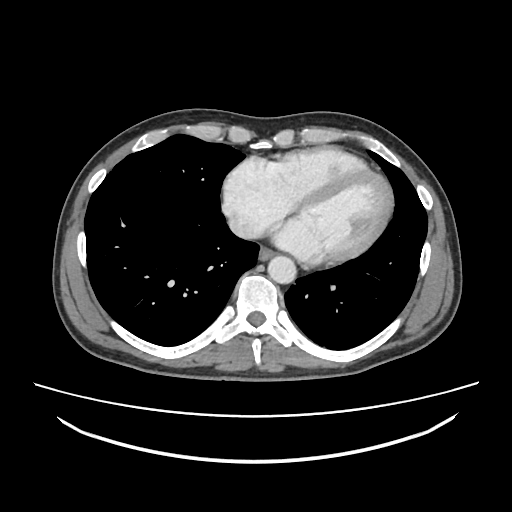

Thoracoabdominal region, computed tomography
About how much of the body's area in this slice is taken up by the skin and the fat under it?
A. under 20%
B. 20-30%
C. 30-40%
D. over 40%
Answer: A. under 20%
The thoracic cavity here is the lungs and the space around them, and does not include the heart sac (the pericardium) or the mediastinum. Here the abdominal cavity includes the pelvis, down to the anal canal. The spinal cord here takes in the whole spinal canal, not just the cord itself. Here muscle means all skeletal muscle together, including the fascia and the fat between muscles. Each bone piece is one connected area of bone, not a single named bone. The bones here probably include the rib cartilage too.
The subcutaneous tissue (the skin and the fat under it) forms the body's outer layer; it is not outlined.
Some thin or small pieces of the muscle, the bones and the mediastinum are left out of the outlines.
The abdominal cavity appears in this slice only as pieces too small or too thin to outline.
The mediastinum appears in 3 outlined pieces: piece 1: 283 296; 285 292; 298 279; 303 276; 313 274; 304 271; 295 262; 284 255; 267 247; 256 244; 259 247; 259 252; 255 265; 250 270; 244 273; 241 276; 244 277; 250 275; 261 275; 264 277; 266 277; 273 283; 275 288; piece 2: 244 157; 250 154; 258 153; 259 152; 262 152; 263 151; 266 151; 267 150; 270 150; 271 149; 276 149; 267 149; 266 150; 255 150; 254 149; 251 149; 246 145; 236 145; 235 144; 228 144; 233 148; 238 150; 241 153; 242 153; piece 3: 373 160; 374 160; 364 150; 355 147; 352 145; 347 144; 344 142; 334 142; 333 143; 306 143; 305 144; 296 144; 295 145; 284 147; 295 146; 296 145; 301 145; 302 144; 313 144; 314 143; 331 143; 332 144; 338 144; 358 150. The bones appear in 11 outlined pieces: piece 1: 256 365; 263 335; 324 360; 350 362; 385 343; 403 318; 399 315; 356 347; 330 350; 297 328; 285 305; 279 308; 272 283; 261 276; 245 277; 236 304; 180 345; 150 343; 110 318; 119 337; 164 359; 245 333; 253 337; inner edge: 255 326; 256 326; 257 325; 258 325; 259 324; 260 324; 264 320; 264 316; 261 313; 260 313; 259 312; 253 312; 252 313; 251 313; 248 316; 248 317; 247 318; 247 319; 252 324; 253 324; piece 2: 399 168; 400 168; 400 163; 397 157; 384 144; 377 139; 370 136; 352 135; 346 133; 334 133; 308 128; 303 128; 300 132; 300 135; 307 140; 312 139; 327 140; 339 136; 353 136; 361 141; 364 147; 367 150; 379 155; 388 162; piece 3: 132 152; 136 152; 137 151; 142 150; 145 148; 150 147; 164 140; 170 135; 168 132; 168 129; 167 128; 163 128; 162 129; 158 129; 157 130; 154 130; 150 132; 144 133; 136 140; 135 143; 132 146; 131 148; 131 151; piece 4: 218 142; 222 142; 224 138; 221 135; 221 128; 217 126; 191 126; 190 125; 187 125; 185 127; 185 133; 187 134; 190 134; 191 135; 193 135; 194 136; 196 136; 200 138; 203 138; 204 139; 213 139; piece 5: 422 276; 424 276; 424 275; 427 271; 427 269; 429 265; 429 262; 430 261; 431 251; 432 250; 431 249; 430 243; 428 241; 428 240; 426 239; 423 244; 423 246; 421 250; 421 255; 420 256; 420 259; 419 260; 419 274; 420 274; piece 6: 85 269; 86 269; 86 253; 85 252; 85 233; 84 232; 84 231; 83 230; 83 229; 82 229; 77 234; 77 236; 76 237; 76 251; 77 252; 77 256; 78 257; 78 260; 79 261; 79 262; 80 263; 80 264; 82 266; 82 267; piece 7: 427 212; 428 211; 429 211; 432 208; 432 206; 433 205; 433 200; 431 197; 431 195; 429 193; 429 192; 427 190; 427 189; 421 184; 418 184; 415 186; 415 188; 416 189; 417 194; 419 197; 419 199; 422 203; 424 208; piece 8: 90 195; 97 188; 97 187; 102 182; 102 181; 104 179; 105 176; 107 174; 107 170; 105 168; 101 168; 100 169; 99 169; 96 172; 95 172; 94 173; 94 174; 91 177; 91 178; 89 180; 89 182; 87 185; 87 192; piece 9: 233 142; 240 142; 241 141; 244 141; 245 140; 249 140; 249 134; 248 133; 248 132; 246 130; 245 130; 244 129; 242 129; 241 128; 238 128; 237 127; 232 126; 228 130; 228 133; 227 134; 227 138; 229 140; 230 140; piece 10: 280 144; 283 144; 284 143; 289 143; 291 141; 291 140; 292 139; 292 134; 293 133; 292 130; 291 130; 290 129; 285 129; 272 137; 272 139; 273 140; 273 141; 274 141; 277 143; 279 143; piece 11: 255 149; 266 149; 267 148; 271 148; 272 147; 272 143; 271 142; 270 142; 269 141; 268 141; 267 140; 260 140; 259 141; 258 141; 257 142; 256 142; 255 143; 250 143; 249 144; 249 146; 251 148; 254 148. The spinal cord is outlined by 255 326; 256 326; 257 325; 258 325; 259 324; 260 324; 264 320; 264 316; 261 313; 260 313; 259 312; 253 312; 252 313; 251 313; 248 316; 248 317; 247 318; 247 319; 252 324; 253 324. The muscle appears in 3 outlined pieces: piece 1: 230 373; 276 373; 288 366; 343 368; 423 337; 442 320; 454 289; 443 209; 428 181; 391 148; 412 184; 424 185; 434 200; 428 212; 426 238; 433 250; 431 261; 425 276; 419 275; 416 279; 414 292; 400 314; 404 321; 399 330; 385 344; 350 363; 324 361; 293 345; 284 348; 268 336; 261 337; 259 366; 253 361; 252 337; 245 334; 222 345; 213 342; 175 360; 148 355; 123 341; 110 328; 110 317; 95 298; 86 270; 77 260; 75 237; 83 228; 89 199; 88 180; 101 167; 109 172; 131 153; 130 148; 139 136; 107 155; 89 172; 72 205; 60 257; 61 298; 72 324; 91 342; 147 362; 174 368; 213 366; piece 2: 365 150; 361 142; 353 137; 339 137; 327 141; 315 140; 307 141; 303 139; 299 135; 299 132; 303 127; 334 132; 366 134; 372 136; 358 130; 342 129; 324 125; 301 125; 293 128; 292 127; 278 130; 272 135; 268 134; 267 136; 262 136; 243 125; 231 125; 222 121; 202 121; 191 125; 217 125; 221 127; 222 135; 225 138; 222 143; 218 143; 213 140; 212 140; 204 140; 203 139; 185 134; 184 127; 187 124; 189 124; 183 123; 164 127; 167 127; 169 129; 169 132; 171 135; 175 133; 181 133; 205 141; 215 143; 227 144; 235 143; 248 145; 250 142; 255 142; 260 139; 267 139; 273 143; 272 148; 278 148; 296 143; 344 141, around holes outlined by 233 142; 240 142; 241 141; 244 141; 245 140; 249 140; 249 134; 248 133; 248 132; 246 130; 245 130; 244 129; 242 129; 241 128; 238 128; 237 127; 232 126; 228 130; 228 133; 227 134; 227 138; 229 140; 230 140 and by 280 144; 283 144; 284 143; 289 143; 291 141; 291 140; 292 139; 292 134; 293 133; 292 130; 291 130; 290 129; 285 129; 272 137; 272 139; 273 140; 273 141; 274 141; 277 143; 279 143; piece 3: 230 305; 234 305; 235 304; 235 302; 236 301; 236 297; 238 293; 238 286; 240 284; 241 282; 241 280; 243 278; 242 278; 240 276; 237 282; 237 284; 235 287; 235 289; 228 303; 228 304. The pericardium is outlined by 312 273; 336 267; 349 259; 363 254; 377 239; 389 224; 395 211; 393 191; 389 180; 377 163; 358 151; 338 145; 302 145; 247 156; 228 173; 222 182; 220 192; 221 213; 230 229; 238 237; 274 249; 291 258; 304 270. The thoracic cavity appears in 2 outlined pieces: piece 1: 167 346; 193 338; 216 318; 227 304; 239 276; 254 265; 258 252; 255 244; 238 238; 229 229; 220 213; 221 182; 243 158; 242 154; 226 144; 205 142; 181 134; 132 153; 118 163; 90 196; 84 218; 87 273; 99 303; 132 333; piece 2: 330 349; 346 349; 368 340; 401 312; 415 286; 420 250; 427 232; 427 213; 409 180; 400 169; 369 151; 367 152; 388 175; 393 186; 396 211; 390 224; 363 255; 349 260; 336 268; 301 278; 284 295; 286 309; 298 328; 317 344. The torso is outlined by 239 382; 314 380; 358 374; 424 348; 451 323; 463 282; 451 205; 423 160; 384 127; 359 116; 333 111; 264 117; 214 108; 173 110; 140 121; 110 139; 91 156; 72 183; 57 223; 51 282; 56 310; 73 340; 95 357; 145 373.